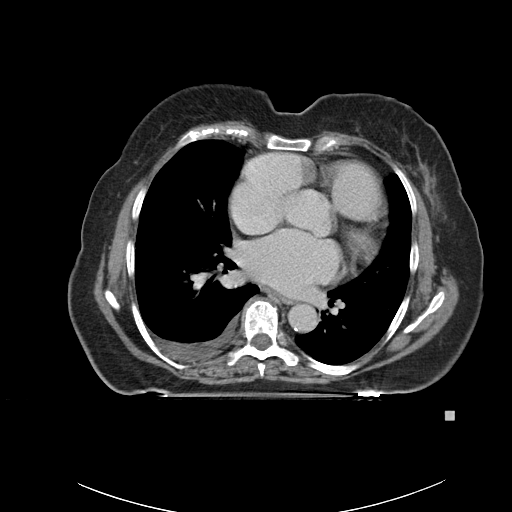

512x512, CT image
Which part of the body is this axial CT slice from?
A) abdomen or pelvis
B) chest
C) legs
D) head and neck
Answer: B) chest
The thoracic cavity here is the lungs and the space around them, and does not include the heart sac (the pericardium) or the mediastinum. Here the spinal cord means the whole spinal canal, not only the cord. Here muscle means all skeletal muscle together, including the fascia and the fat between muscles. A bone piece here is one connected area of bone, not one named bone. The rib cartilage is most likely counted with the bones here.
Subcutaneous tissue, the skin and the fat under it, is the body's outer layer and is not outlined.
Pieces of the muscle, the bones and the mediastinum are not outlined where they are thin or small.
torso: (200, 83) (259, 86) (283, 112) (300, 112) (329, 93) (381, 93) (411, 106) (437, 130) (476, 221) (484, 268) (475, 328) (439, 380) (422, 389) (360, 391) (351, 398) (236, 400) (169, 398) (151, 390) (123, 394) (98, 375) (67, 303) (91, 192) (146, 113) (175, 91)
muscle 1: (323, 130) (362, 136) (381, 147) (404, 166) (420, 192) (431, 222) (435, 263) (440, 269) (447, 269) (458, 288) (453, 312) (441, 329) (423, 346) (400, 359) (327, 383) (258, 378) (248, 382) (206, 384) (179, 378) (134, 356) (98, 307) (94, 283) (103, 247) (111, 242) (125, 197) (156, 160) (176, 143) (179, 149) (158, 170) (149, 186) (142, 186) (135, 195) (131, 207) (131, 218) (138, 220) (135, 240) (129, 238) (126, 241) (124, 255) (127, 276) (134, 278) (136, 302) (130, 303) (133, 321) (145, 343) (160, 359) (182, 370) (227, 352) (227, 366) (233, 366) (248, 355) (258, 360) (256, 366) (262, 378) (266, 368) (263, 361) (269, 357) (280, 358) (290, 367) (300, 361) (299, 355) (285, 346) (285, 336) (292, 348) (302, 351) (310, 368) (327, 375) (343, 376) (358, 369) (362, 363) (354, 361) (384, 335) (385, 343) (394, 335) (409, 307) (411, 296) (405, 295) (409, 276) (416, 272) (420, 260) (418, 242) (411, 240) (412, 216) (418, 209) (414, 189) (396, 164) (391, 163) (390, 169) (362, 147) (341, 145) (329, 151) (342, 142) (329, 135) (323, 135) (313, 143) (308, 137) with holes at (439, 291) (443, 291) (444, 292) (444, 299) (441, 305) (435, 311) (428, 314) (414, 328) (414, 329) (412, 331) (410, 331) (407, 333) (404, 333) (403, 332) (403, 330) (405, 328) (405, 327) (409, 323) (413, 321) (421, 313) (423, 312) (423, 311) (428, 306) (433, 296) and at (106, 289) (108, 289) (109, 290) (110, 290) (115, 296) (115, 297) (116, 298) (117, 301) (119, 303) (119, 305) (120, 306) (120, 307) (118, 310) (116, 310) (115, 309) (114, 309) (109, 304) (109, 303) (106, 300) (106, 299) (105, 298) (105, 296) (104, 295) (104, 291)
muscle 2: (226, 120) (246, 120) (250, 122) (260, 131) (268, 131) (273, 133) (265, 133) (263, 135) (262, 138) (264, 141) (264, 145) (258, 145) (250, 141) (241, 141) (236, 138) (230, 137) (225, 138) (224, 137) (223, 138) (222, 137) (210, 137) (211, 135) (217, 136) (224, 135) (225, 136) (234, 136) (237, 138) (246, 138) (252, 134) (253, 130) (246, 125) (221, 124) (220, 125) (208, 125) (205, 127) (199, 128) (190, 128) (199, 124) (210, 124)
muscle 3: (242, 328) (242, 337) (244, 339) (244, 342) (240, 346) (239, 346) (238, 347) (237, 347) (236, 348) (234, 348) (233, 349) (231, 349) (234, 346) (234, 345) (237, 342) (237, 341) (238, 340) (238, 338) (239, 337) (239, 333) (240, 332) (240, 331) (241, 330) (241, 329)
mediastinum 1: (231, 229) (233, 253) (249, 279) (280, 294) (305, 298) (322, 288) (335, 286) (354, 277) (328, 290) (319, 300) (321, 320) (314, 329) (294, 337) (286, 337) (280, 328) (276, 305) (258, 298) (244, 306) (259, 288) (253, 283) (243, 285) (237, 274) (238, 266) (230, 257)
mediastinum 2: (341, 146) (355, 146) (362, 148) (381, 160) (391, 170) (391, 173) (386, 175) (383, 179) (382, 173) (373, 163) (354, 153) (339, 153) (339, 155) (332, 158) (323, 157) (321, 159) (318, 159) (300, 153) (284, 151) (311, 151) (316, 154) (326, 151) (329, 152)
mediastinum 3: (224, 138) (225, 139) (226, 138) (236, 139) (241, 142) (250, 142) (258, 146) (264, 146) (268, 150) (273, 150) (264, 150) (262, 149) (257, 151) (250, 151) (249, 153) (245, 156) (245, 158) (243, 161) (243, 157) (245, 153) (244, 150) (229, 142) (227, 140) (224, 139)
spinal cord: (257, 334) (266, 334) (269, 337) (269, 338) (270, 339) (270, 341) (271, 342) (270, 343) (270, 344) (266, 348) (265, 348) (264, 349) (259, 349) (258, 348) (257, 348) (255, 346) (254, 346) (251, 343) (253, 337) (255, 335) (256, 335)
pericardium: (262, 150) (291, 152) (318, 160) (332, 159) (339, 154) (354, 154) (367, 160) (379, 170) (387, 200) (387, 225) (379, 249) (368, 265) (356, 275) (335, 285) (322, 287) (305, 297) (280, 293) (250, 279) (234, 253) (234, 235) (227, 204) (228, 196) (246, 156) (250, 152)
bones 1: (258, 299) (277, 307) (279, 329) (285, 334) (284, 346) (299, 357) (299, 361) (293, 366) (286, 365) (280, 357) (267, 357) (262, 361) (265, 365) (262, 377) (257, 366) (259, 360) (251, 355) (243, 355) (233, 365) (227, 365) (228, 352) (245, 342) (241, 323) (243, 308) with a hole at (257, 334) (266, 334) (269, 337) (269, 338) (270, 339) (270, 341) (271, 342) (270, 343) (270, 344) (266, 348) (265, 348) (264, 349) (259, 349) (258, 348) (257, 348) (255, 346) (254, 346) (251, 343) (253, 337) (255, 335) (256, 335)
bones 2: (265, 134) (277, 134) (290, 139) (308, 138) (312, 141) (313, 144) (323, 136) (337, 138) (341, 142) (339, 145) (337, 146) (334, 145) (330, 147) (329, 149) (322, 152) (318, 152) (315, 149) (313, 144) (307, 151) (274, 150) (268, 149) (265, 146) (265, 141) (263, 138)
bones 3: (221, 125) (224, 126) (227, 125) (229, 126) (246, 126) (252, 130) (252, 132) (250, 135) (246, 137) (237, 137) (234, 135) (211, 134) (208, 138) (192, 141) (182, 147) (178, 148) (177, 146) (178, 140) (188, 130) (190, 129) (205, 128) (208, 126) (220, 126)
bones 4: (133, 301) (136, 303) (138, 307) (138, 310) (142, 318) (142, 320) (157, 348) (165, 356) (171, 360) (183, 365) (187, 365) (187, 367) (182, 369) (179, 369) (174, 367) (172, 365) (169, 364) (160, 358) (149, 347) (140, 334) (134, 321) (134, 318) (131, 310) (131, 303)
bones 5: (303, 352) (320, 362) (326, 364) (329, 364) (330, 365) (342, 365) (343, 364) (348, 364) (352, 362) (360, 362) (361, 365) (358, 368) (353, 370) (347, 374) (344, 374) (343, 375) (332, 375) (331, 374) (327, 374) (310, 367) (308, 365) (309, 361) (303, 355)
bones 6: (439, 291) (443, 291) (444, 292) (444, 299) (441, 305) (435, 311) (428, 314) (414, 328) (414, 329) (412, 331) (410, 331) (407, 333) (404, 333) (403, 332) (403, 330) (405, 328) (405, 327) (409, 323) (413, 321) (421, 313) (423, 312) (423, 311) (428, 306) (433, 296)
bones 7: (406, 295) (409, 295) (410, 296) (410, 299) (409, 300) (408, 307) (404, 315) (404, 317) (402, 319) (399, 326) (397, 328) (397, 329) (395, 331) (393, 335) (387, 341) (385, 342) (385, 333) (393, 317) (395, 315) (404, 296)
bones 8: (391, 164) (394, 164) (396, 165) (405, 174) (410, 182) (410, 184) (413, 189) (413, 191) (416, 198) (416, 204) (417, 205) (417, 209) (414, 215) (412, 215) (412, 213) (411, 212) (411, 208) (410, 207) (409, 199) (408, 198) (407, 193) (400, 179) (393, 171)
bones 9: (129, 239) (131, 239) (134, 242) (134, 277) (133, 278) (130, 278) (128, 276) (128, 273) (127, 272) (127, 265) (126, 264) (126, 257) (125, 256) (125, 255) (126, 254) (126, 245) (127, 244) (127, 241)
bones 10: (413, 240) (416, 241) (417, 242) (417, 244) (418, 245) (418, 252) (419, 253) (419, 260) (418, 261) (418, 263) (417, 264) (417, 268) (416, 269) (415, 272) (414, 273) (410, 273) (410, 271) (409, 270) (409, 255) (410, 254) (410, 248) (411, 247) (411, 241) (412, 241)
bones 11: (144, 186) (147, 187) (147, 190) (146, 191) (146, 193) (144, 196) (144, 198) (143, 199) (143, 201) (141, 205) (141, 208) (140, 209) (140, 212) (138, 216) (138, 219) (136, 220) (134, 220) (132, 218) (132, 207) (134, 203) (134, 200) (139, 190) (142, 187)
bones 12: (106, 289) (108, 289) (109, 290) (110, 290) (115, 296) (115, 297) (116, 298) (117, 301) (119, 303) (119, 305) (120, 306) (120, 307) (118, 310) (116, 310) (115, 309) (114, 309) (109, 304) (109, 303) (106, 300) (106, 299) (105, 298) (105, 296) (104, 295) (104, 291)
thoracic cavity 1: (209, 138) (223, 139) (244, 152) (238, 175) (227, 196) (231, 233) (229, 257) (237, 266) (236, 274) (242, 285) (253, 284) (258, 291) (245, 302) (237, 340) (228, 351) (199, 363) (183, 364) (158, 348) (139, 310) (135, 289) (135, 241) (142, 205) (156, 174) (181, 148)
thoracic cavity 2: (392, 172) (397, 176) (406, 193) (411, 213) (409, 275) (404, 295) (384, 334) (367, 352) (348, 363) (330, 364) (320, 361) (300, 348) (292, 347) (288, 338) (294, 338) (314, 330) (322, 320) (320, 300) (328, 291) (358, 276) (379, 252) (389, 225) (389, 203) (383, 180)